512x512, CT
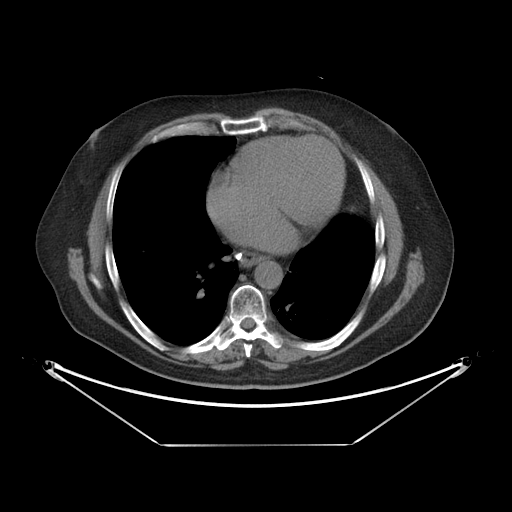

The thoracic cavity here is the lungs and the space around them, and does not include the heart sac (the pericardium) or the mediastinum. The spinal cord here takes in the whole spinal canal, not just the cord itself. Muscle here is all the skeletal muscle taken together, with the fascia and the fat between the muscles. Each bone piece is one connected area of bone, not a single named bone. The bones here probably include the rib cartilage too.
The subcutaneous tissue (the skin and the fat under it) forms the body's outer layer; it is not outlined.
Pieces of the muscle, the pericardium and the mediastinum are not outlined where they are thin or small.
spinal cord: 246,318 250,318 251,319 252,319 253,320 253,321 254,322 254,326 251,329 250,329 249,330 247,330 246,329 245,329 244,328 243,328 241,326 241,323 242,322 242,321 244,319 245,319
mediastinum 1: 230,246 235,250 253,250 276,258 287,258 295,253 289,265 289,272 284,276 277,291 270,298 269,305 267,305 262,291 251,283 240,284 231,292 231,289 240,273 237,263 228,259 228,257 232,253 232,248
mediastinum 2: 346,158 349,160 357,169 361,178 363,187 365,190 365,193 367,196 367,199 369,202 369,204 368,203 365,203 364,204 356,205 344,209 344,201 346,197 346,190 347,189 347,184 348,183 348,165 347,164
mediastinum 3: 273,127 277,127 281,129 297,129 298,130 311,131 304,131 303,132 301,131 297,131 296,132 276,131 275,132 261,134 244,141 234,151 237,142 235,135 250,134 260,131 261,132 265,132 270,128
mediastinum 4: 230,154 231,154 231,155 230,155 229,157 227,158 227,159 226,159 224,161 220,163 219,165 218,165 217,167 216,167 215,169 214,169 216,165 220,161 223,160
mediastinum 5: 216,232 217,232 217,233 221,237 221,239 223,241 223,242 224,243 225,243 226,244 227,244 225,244 224,243 223,243 221,241 221,240 220,239 220,238 219,237 219,236 217,234 217,233
thoracic cavity 1: 184,135 234,136 235,138 234,150 220,160 210,173 205,190 205,211 220,241 231,248 227,259 236,263 239,273 230,289 227,312 205,337 185,346 159,337 135,312 121,283 112,240 114,201 125,167 146,146
thoracic cavity 2: 365,204 369,205 374,224 375,260 367,287 353,316 340,330 325,339 307,340 290,333 276,322 272,314 268,311 267,306 270,305 271,298 278,291 285,276 290,272 290,265 296,253 309,244 336,215 344,210
bones 1: 243,284 251,284 261,291 267,311 272,316 269,328 281,335 281,346 275,348 256,338 250,342 252,347 247,357 245,341 238,338 222,350 214,346 198,353 182,352 184,347 205,338 218,325 228,312 230,294, around a hole outlined by 246,318 250,318 251,319 252,319 253,320 253,321 254,322 254,326 251,329 250,329 249,330 247,330 246,329 245,329 244,328 243,328 241,326 241,323 242,322 242,321 244,319 245,319
bones 2: 267,114 274,119 295,119 307,126 312,127 314,130 281,128 273,126 265,131 260,130 234,135 228,135 222,132 208,135 177,135 149,144 151,138 155,134 166,128 181,123 200,121 217,125 223,118 239,119
bones 3: 362,309 364,309 364,313 358,325 338,346 329,350 306,350 305,349 299,348 294,345 294,344 298,341 321,341 322,340 328,339 330,337 333,336 339,331 340,331 349,322 349,321 359,311 360,311
bones 4: 120,300 124,300 128,302 137,316 161,340 161,341 169,348 167,350 164,350 163,351 159,350 157,348 150,344 147,341 146,341 135,330 135,329 129,322 124,312 122,310 120,306
bones 5: 123,161 125,161 125,166 121,173 121,175 117,184 117,187 114,196 114,200 113,201 112,220 109,222 107,221 106,219 106,204 107,203 107,198 109,192 109,187 115,169 117,166
bones 6: 107,243 109,243 112,246 114,260 115,261 115,264 117,268 117,272 118,273 119,279 120,280 120,284 117,290 114,288 112,284 112,282 109,277 108,271 107,270 107,267 106,266 106,262 105,261 105,246
bones 7: 381,253 383,253 385,255 385,267 384,268 384,271 383,272 383,274 382,275 380,282 378,284 374,291 371,294 370,294 369,290 368,289 368,285 371,278 371,275 372,274 372,271 375,264 376,258
bones 8: 354,156 356,156 363,163 370,176 370,178 372,182 372,185 373,186 373,190 374,191 374,201 372,203 370,203 368,199 368,196 366,193 366,190 364,187 364,184 363,183 362,178 354,160
bones 9: 380,214 382,216 382,218 383,219 383,223 384,224 384,241 383,242 383,246 381,248 376,248 376,246 375,245 375,221 376,220 376,219 377,218 377,217 378,216 378,215 379,215
bones 10: 90,273 91,273 92,274 93,274 98,279 98,280 99,281 99,282 100,283 100,284 101,285 101,288 100,288 99,289 98,288 97,288 94,285 94,284 89,279 89,274
torso: 282,87 324,90 359,104 391,125 424,162 454,235 454,262 449,284 429,325 408,345 365,368 327,382 275,390 210,388 169,380 132,365 73,330 40,268 34,241 39,220 62,174 94,128 138,103 159,96
pericardium: 312,131 331,140 345,156 347,165 347,183 343,201 343,210 332,217 311,240 287,257 276,257 253,249 235,249 224,242 222,237 216,231 206,211 206,190 214,170 227,160 240,145 255,137 276,132 303,133
muscle: 265,107 280,107 322,121 369,162 396,204 403,230 402,257 417,247 420,249 424,281 384,325 327,359 279,370 248,359 239,367 217,370 159,358 88,306 69,275 67,250 80,247 88,253 86,232 111,168 147,131 178,117 202,112 221,112 231,117 223,117 217,124 200,120 181,122 155,133 126,165 123,160 116,166 105,204 112,241 112,245 107,242 104,246 107,274 116,291 121,284 127,301 120,299 119,306 146,342 161,352 170,348 163,340 183,346 184,354 198,354 214,347 222,351 241,339 244,354 249,358 251,342 256,339 275,349 282,346 284,338 270,328 273,318 284,330 306,340 296,341 295,347 329,351 359,325 365,309 355,313 366,289 371,295 382,280 386,255 375,255 376,249 384,246 385,224 380,213 373,221 370,204 375,201 375,191 364,163 354,155 355,165 331,139 295,118 274,118 267,113 243,117; inner edge: 90,273 91,273 92,274 93,274 98,279 98,280 99,281 99,282 100,283 100,284 101,285 101,288 100,288 99,289 98,288 97,288 94,285 94,284 89,279 89,274